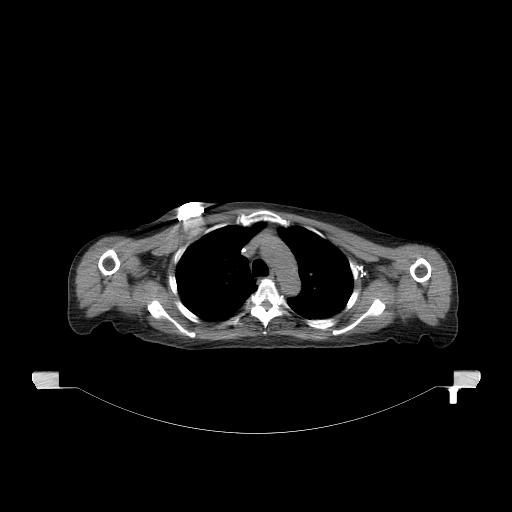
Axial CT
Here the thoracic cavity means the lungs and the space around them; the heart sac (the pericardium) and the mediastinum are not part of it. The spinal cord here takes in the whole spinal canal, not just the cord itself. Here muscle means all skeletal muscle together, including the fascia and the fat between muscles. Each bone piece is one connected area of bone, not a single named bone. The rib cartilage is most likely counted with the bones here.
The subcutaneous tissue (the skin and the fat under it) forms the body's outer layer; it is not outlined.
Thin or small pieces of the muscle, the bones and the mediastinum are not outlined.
The bones appear in 14 outlined pieces: piece 1: 265 278; 273 281; 278 292; 283 295; 287 304; 294 312; 289 315; 282 315; 273 317; 265 327; 263 326; 262 323; 256 317; 252 316; 248 313; 240 319; 239 324; 219 326; 222 322; 227 320; 243 309; 246 300; 257 289; 261 280; inner edge: 264 301; 265 301; 266 301; 267 301; 268 301; 269 302; 270 303; 270 304; 271 305; 271 306; 270 307; 269 308; 268 309; 267 309; 266 309; 265 309; 265 308; 264 307; 263 306; 262 306; 261 305; 261 304; 262 303; 263 302; piece 2: 259 209; 268 209; 269 210; 273 211; 281 217; 288 219; 290 221; 290 225; 287 227; 284 227; 276 222; 271 222; 270 221; 258 221; 248 226; 243 226; 239 224; 235 224; 235 219; 238 215; 242 213; 244 214; 249 214; piece 3: 376 298; 378 298; 385 303; 385 308; 379 315; 377 316; 367 316; 362 320; 361 320; 358 324; 357 324; 351 329; 338 335; 333 335; 332 334; 332 331; 333 329; 340 329; 341 328; 343 328; 355 321; 368 309; 374 299; piece 4: 154 299; 157 300; 160 303; 166 312; 179 324; 180 324; 187 330; 189 331; 193 331; 195 333; 195 336; 193 338; 191 338; 185 335; 182 333; 172 322; 164 317; 162 317; 158 319; 157 318; 153 317; 147 309; 147 304; piece 5: 110 248; 112 248; 116 252; 116 253; 119 258; 119 260; 120 261; 120 265; 119 266; 119 268; 115 272; 114 272; 112 274; 111 274; 110 275; 104 275; 100 271; 100 270; 98 267; 98 260; 99 259; 100 256; 106 250; 107 250; piece 6: 419 257; 422 257; 424 258; 430 264; 431 266; 431 274; 430 275; 430 277; 426 281; 422 283; 416 281; 411 276; 410 274; 410 272; 409 271; 409 267; 410 265; 412 264; 417 259; 417 258; piece 7: 330 317; 335 317; 338 321; 335 325; 334 325; 333 326; 330 326; 326 329; 320 329; 319 328; 314 328; 311 326; 309 326; 303 321; 303 318; 307 318; 308 319; 326 319; 327 318; 329 318; piece 8: 177 299; 179 299; 181 301; 181 302; 191 312; 192 312; 194 314; 198 316; 200 318; 201 320; 201 322; 200 323; 196 323; 195 322; 193 322; 189 319; 188 319; 184 315; 183 315; 178 309; 178 308; 175 304; 175 301; piece 9: 354 289; 357 289; 359 291; 359 292; 358 293; 358 296; 357 297; 355 302; 353 304; 353 305; 349 309; 348 309; 346 311; 345 311; 344 310; 344 308; 345 307; 345 306; 346 305; 346 304; 347 303; 347 302; 348 301; 348 300; piece 10: 170 274; 172 274; 173 275; 175 275; 175 280; 176 281; 176 284; 177 285; 177 292; 178 293; 178 294; 177 295; 175 295; 173 293; 173 292; 172 291; 172 290; 171 289; 171 288; 169 285; 169 281; 168 280; 168 276; piece 11: 186 243; 188 243; 189 244; 189 245; 185 249; 185 250; 183 252; 182 255; 180 257; 180 258; 177 262; 177 263; 176 264; 175 264; 174 263; 174 261; 173 260; 174 259; 174 254; 176 252; 176 251; 180 247; 181 247; piece 12: 349 259; 351 259; 356 264; 357 264; 356 265; 356 267; 357 268; 357 271; 358 272; 358 276; 357 277; 357 278; 355 280; 354 280; 353 279; 353 275; 352 274; 352 271; 350 268; 350 265; 349 264; 349 262; 348 261; 348 260; piece 13: 224 222; 226 222; 228 224; 227 225; 225 225; 222 227; 220 227; 219 228; 214 229; 204 234; 204 232; 205 230; 206 230; 209 227; 211 226; 213 226; 216 224; 218 224; 219 223; 223 223; piece 14: 305 226; 310 226; 313 228; 315 228; 317 230; 320 231; 325 236; 325 238; 324 238; 323 237; 320 236; 318 234; 317 234; 316 233; 315 233; 314 232; 311 231; 309 229; 306 228; 305 227. The muscle is outlined by 237 208; 264 208; 238 214; 233 224; 209 226; 173 254; 168 285; 191 322; 234 326; 248 314; 265 328; 294 313; 309 327; 326 330; 338 323; 334 315; 354 305; 358 264; 320 230; 291 224; 272 210; 329 223; 386 247; 433 248; 451 277; 445 318; 437 326; 417 317; 397 319; 375 331; 317 341; 286 335; 184 338; 114 307; 86 318; 76 297; 76 269; 97 241; 141 239; 188 217, around holes outlined by 376 298; 378 298; 385 303; 385 308; 379 315; 377 316; 367 316; 362 320; 361 320; 358 324; 357 324; 351 329; 338 335; 333 335; 332 334; 332 331; 333 329; 340 329; 341 328; 343 328; 355 321; 368 309; 374 299 and by 154 299; 157 300; 160 303; 166 312; 179 324; 180 324; 187 330; 189 331; 193 331; 195 333; 195 336; 193 338; 191 338; 185 335; 182 333; 172 322; 164 317; 162 317; 158 319; 157 318; 153 317; 147 309; 147 304 and by 110 248; 112 248; 116 252; 116 253; 119 258; 119 260; 120 261; 120 265; 119 266; 119 268; 115 272; 114 272; 112 274; 111 274; 110 275; 104 275; 100 271; 100 270; 98 267; 98 260; 99 259; 100 256; 106 250; 107 250 and by 419 257; 422 257; 424 258; 430 264; 431 266; 431 274; 430 275; 430 277; 426 281; 422 283; 416 281; 411 276; 410 274; 410 272; 409 271; 409 267; 410 265; 412 264; 417 259; 417 258. The right arm is outlined by 120 229; 125 230; 133 234; 139 240; 144 251; 145 266; 141 279; 134 290; 121 301; 112 311; 109 322; 101 323; 88 335; 78 335; 72 331; 68 324; 66 317; 67 276; 70 264; 78 250; 89 240; 104 232; 112 230; 119 230. The left arm is outlined by 408 238; 424 240; 437 245; 445 252; 454 266; 457 275; 458 293; 459 294; 459 303; 457 313; 458 331; 454 340; 446 347; 437 348; 434 346; 431 339; 427 335; 422 335; 419 328; 405 311; 394 292; 391 281; 392 264; 399 246. The torso is outlined by 244 200; 337 212; 377 230; 407 238; 393 257; 390 281; 396 298; 418 328; 422 336; 420 341; 400 344; 390 339; 343 348; 185 350; 117 332; 110 322; 112 313; 138 286; 146 266; 140 240; 122 229; 135 228; 174 207; 191 202. The mediastinum is outlined by 265 222; 276 223; 281 226; 278 228; 278 234; 288 246; 296 260; 297 272; 300 281; 300 291; 294 296; 285 298; 284 295; 279 292; 274 281; 267 277; 262 278; 257 285; 255 280; 250 274; 248 260; 241 253; 243 247; 264 227. The thoracic cavity appears in 2 outlined pieces: piece 1: 258 222; 264 222; 263 227; 242 247; 240 252; 247 260; 249 274; 257 286; 256 289; 248 296; 240 310; 227 319; 214 321; 201 318; 191 311; 180 298; 175 274; 178 262; 186 249; 203 235; 228 225; 234 224; 243 227; 249 227; piece 2: 291 225; 304 227; 320 237; 328 240; 338 248; 347 259; 353 280; 352 291; 344 307; 333 316; 326 318; 302 317; 295 313; 286 300; 287 298; 296 296; 301 291; 301 281; 298 272; 297 260; 289 246; 279 234; 280 227; 287 228. The spinal cord is outlined by 264 301; 265 301; 266 301; 267 301; 268 301; 269 302; 270 303; 270 304; 271 305; 271 306; 270 307; 269 308; 268 309; 267 309; 266 309; 265 309; 265 308; 264 307; 263 306; 262 306; 261 305; 261 304; 262 303; 263 302.